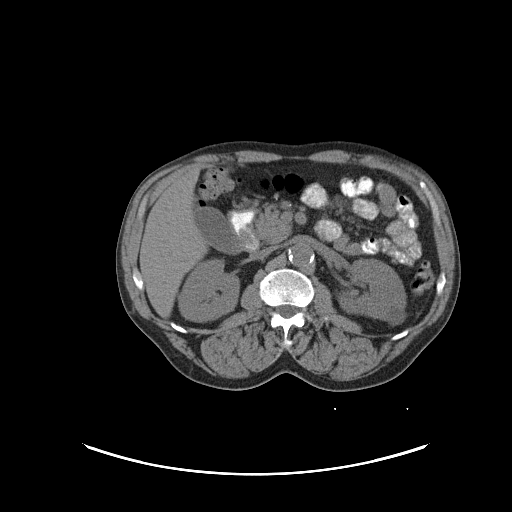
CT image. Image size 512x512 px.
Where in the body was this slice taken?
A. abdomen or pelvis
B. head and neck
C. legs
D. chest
Answer: A. abdomen or pelvis
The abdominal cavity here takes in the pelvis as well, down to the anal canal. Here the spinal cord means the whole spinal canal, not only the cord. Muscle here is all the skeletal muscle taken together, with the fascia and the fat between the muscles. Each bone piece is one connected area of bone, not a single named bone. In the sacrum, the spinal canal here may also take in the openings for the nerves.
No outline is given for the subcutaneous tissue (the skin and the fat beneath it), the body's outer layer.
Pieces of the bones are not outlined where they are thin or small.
{"bones":[{"outer":[[281,268],[301,272],[309,278],[314,287],[313,298],[306,308],[306,312],[313,320],[306,320],[301,327],[289,328],[287,337],[291,340],[291,344],[288,348],[282,345],[283,329],[280,326],[271,326],[270,308],[259,295],[259,282],[262,278],[272,270]],"hole":[[281,305],[290,305],[291,306],[294,306],[295,307],[296,307],[298,309],[298,310],[297,311],[297,312],[296,312],[293,315],[292,315],[289,317],[284,317],[283,316],[282,316],[279,313],[278,313],[276,311],[276,307],[277,307],[278,306],[280,306]]},[[420,181],[423,181],[425,183],[427,188],[430,191],[437,205],[437,208],[439,212],[439,217],[441,222],[441,225],[440,226],[437,225],[434,220],[434,218],[432,214],[432,209],[430,205],[430,202],[427,196],[425,194],[424,191],[419,185],[419,182]],[[134,268],[137,268],[137,269],[138,270],[138,271],[140,274],[140,276],[141,277],[141,279],[143,282],[143,289],[142,290],[139,289],[136,286],[136,285],[135,284],[135,283],[133,280],[133,278],[132,277],[132,275],[133,274],[133,269]],[[440,272],[444,272],[444,274],[445,275],[445,279],[446,280],[445,281],[445,284],[443,287],[443,289],[442,290],[442,292],[439,295],[438,295],[436,293],[436,285],[437,284],[437,281],[438,280],[438,278],[439,277],[439,275],[440,274]],[[145,195],[146,195],[146,196],[147,197],[147,200],[146,201],[146,204],[145,205],[145,211],[144,212],[144,214],[143,215],[143,217],[141,219],[139,219],[137,216],[137,212],[138,211],[138,208],[140,205],[140,203],[141,202],[143,197]],[[407,328],[408,329],[408,333],[406,335],[405,335],[403,337],[401,337],[396,340],[392,340],[391,339],[391,337],[393,335],[394,335],[395,334],[396,334],[397,333],[398,333],[399,332],[400,332],[401,331],[402,331]],[[171,321],[174,322],[176,324],[177,324],[178,325],[179,325],[180,326],[183,327],[185,329],[186,329],[187,330],[187,332],[186,333],[183,333],[182,332],[180,332],[179,331],[178,331],[177,330],[174,329],[170,325],[170,322]]],"muscle":[{"outer":[[241,149],[288,156],[306,156],[326,150],[342,150],[359,154],[373,154],[411,166],[423,174],[432,183],[442,199],[453,240],[453,283],[442,314],[424,329],[401,353],[384,366],[371,374],[352,380],[337,381],[315,374],[301,366],[288,353],[283,354],[273,364],[254,375],[237,379],[226,378],[209,373],[176,349],[161,329],[138,313],[124,285],[121,264],[121,246],[126,221],[136,194],[140,188],[157,173],[202,153]],"holes":[[[279,160],[379,169],[417,194],[429,211],[439,271],[446,280],[406,335],[392,340],[392,333],[364,332],[359,323],[337,311],[328,287],[307,275],[314,295],[306,312],[313,320],[289,328],[291,344],[286,348],[283,329],[271,326],[270,308],[259,295],[259,282],[267,273],[262,269],[244,288],[242,309],[213,328],[185,327],[183,333],[154,313],[132,275],[145,219],[161,191],[194,168]],[[420,181],[423,181],[425,183],[427,188],[430,191],[437,205],[437,208],[439,212],[439,217],[441,222],[441,225],[440,226],[437,225],[434,220],[434,218],[432,214],[432,209],[430,205],[430,202],[427,196],[425,194],[424,191],[419,185],[419,182]],[[145,195],[146,195],[146,196],[147,197],[147,200],[146,201],[146,204],[145,205],[145,211],[144,212],[144,214],[143,215],[143,217],[141,219],[139,219],[137,216],[137,212],[138,211],[138,208],[140,205],[140,203],[141,202],[143,197]]]}],"spinal_cord":[[[281,305],[290,305],[291,306],[294,306],[295,307],[296,307],[298,309],[298,310],[297,311],[297,312],[296,312],[293,315],[292,315],[289,317],[284,317],[283,316],[282,316],[279,313],[278,313],[276,311],[276,307],[277,307],[278,306],[280,306]]],"torso":[[[231,140],[288,144],[324,140],[369,143],[415,161],[441,188],[458,240],[459,292],[445,326],[397,377],[377,386],[343,392],[317,388],[289,373],[245,390],[209,387],[178,372],[127,315],[117,286],[115,249],[133,191],[148,173],[160,165],[195,148]]],"abdominal_cavity":[[[279,160],[379,169],[417,194],[429,211],[439,263],[435,294],[417,323],[394,334],[366,333],[337,311],[330,290],[317,277],[290,267],[255,273],[241,294],[242,309],[213,328],[184,327],[154,313],[144,293],[137,257],[145,219],[161,191],[194,168]]]}